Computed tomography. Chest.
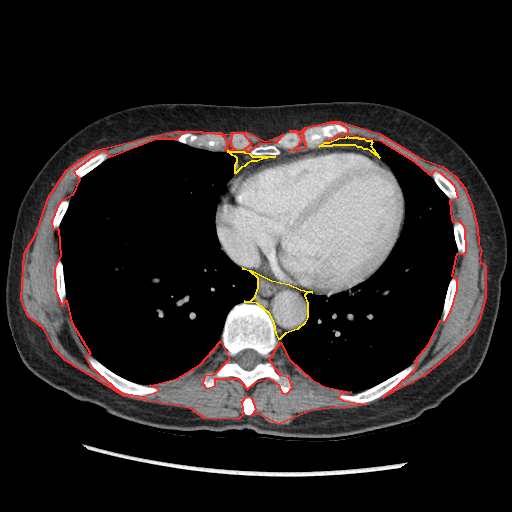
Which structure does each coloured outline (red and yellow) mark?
red: muscle; yellow: mediastinum.
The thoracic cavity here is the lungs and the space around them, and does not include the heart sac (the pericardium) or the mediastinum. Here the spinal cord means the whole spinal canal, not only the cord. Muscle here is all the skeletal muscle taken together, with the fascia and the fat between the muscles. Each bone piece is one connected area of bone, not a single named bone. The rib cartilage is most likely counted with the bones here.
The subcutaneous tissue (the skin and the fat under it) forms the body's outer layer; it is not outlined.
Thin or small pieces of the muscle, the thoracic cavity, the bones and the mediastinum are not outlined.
The muscle appears in 2 outlined pieces: piece 1: 178 130; 226 134; 246 131; 265 141; 283 134; 275 143; 258 144; 247 152; 243 150; 251 143; 243 133; 231 133; 230 145; 236 150; 225 150; 228 143; 221 133; 186 131; 175 139; 156 139; 110 157; 106 151; 99 152; 73 171; 79 179; 72 195; 59 202; 51 221; 52 227; 58 229; 60 256; 54 267; 55 290; 61 305; 66 300; 71 322; 90 353; 85 357; 89 365; 120 392; 144 396; 159 390; 150 385; 177 378; 200 364; 220 341; 229 359; 213 375; 204 376; 202 383; 206 388; 215 385; 215 378; 237 378; 247 389; 256 381; 269 378; 278 384; 281 392; 287 393; 292 387; 289 378; 280 375; 269 359; 280 342; 289 359; 310 378; 324 386; 351 392; 340 393; 338 397; 342 400; 366 404; 311 410; 278 424; 258 414; 251 415; 256 409; 252 398; 246 396; 241 402; 243 414; 238 419; 204 418; 190 408; 124 396; 65 360; 54 349; 44 329; 27 315; 21 299; 24 253; 36 233; 48 197; 66 170; 94 150; piece 2: 330 121; 340 121; 379 133; 420 158; 442 166; 455 176; 464 187; 471 204; 477 227; 478 244; 481 250; 479 258; 480 262; 485 265; 485 297; 479 319; 472 332; 457 348; 423 376; 383 397; 416 368; 417 362; 414 361; 429 343; 440 320; 445 321; 450 312; 457 290; 457 279; 452 276; 457 253; 463 254; 466 251; 465 228; 460 221; 455 220; 453 222; 452 219; 450 200; 458 197; 455 186; 440 172; 434 170; 430 175; 415 162; 381 141; 347 135; 325 141; 340 133; 348 132; 348 129; 343 125; 330 123; 306 128; 302 132; 305 148; 294 151; 288 150; 295 149; 302 139; 296 131; 289 131; 301 131; 305 127. The mediastinum appears in 3 outlined pieces: piece 1: 242 268; 251 270; 271 280; 289 284; 300 289; 312 292; 307 292; 304 295; 307 303; 307 317; 304 323; 297 329; 285 333; 279 339; 276 333; 274 322; 269 313; 257 303; 244 301; 250 301; 255 296; 258 287; 258 278; 251 272; piece 2: 347 136; 348 137; 357 137; 358 138; 363 138; 366 140; 371 140; 372 142; 370 145; 379 157; 371 151; 367 149; 364 149; 361 147; 358 147; 355 145; 332 145; 331 146; 319 146; 325 142; 329 142; 338 138; 346 137; piece 3: 227 151; 243 151; 244 152; 249 153; 252 156; 260 156; 261 157; 262 156; 275 156; 267 157; 266 158; 264 158; 257 161; 251 161; 247 163; 244 166; 241 167; 235 173; 235 164; 237 161; 237 158; 235 156; 232 155; 228 151. The pericardium is outlined by 332 146; 355 146; 371 152; 387 164; 402 190; 405 207; 403 225; 395 244; 381 265; 369 277; 351 289; 328 295; 271 279; 234 262; 222 248; 215 222; 216 210; 222 197; 228 191; 228 184; 233 176; 241 168; 251 162; 301 150. The spinal cord is outlined by 245 349; 253 349; 255 351; 256 351; 262 357; 263 357; 264 359; 263 362; 258 363; 252 369; 250 369; 249 370; 247 369; 244 369; 242 367; 241 367; 236 362; 232 360; 232 358; 233 358; 239 352. The bones appear in 13 outlined pieces: piece 1: 241 302; 257 304; 270 316; 279 341; 268 359; 280 376; 288 378; 291 387; 287 392; 281 391; 279 384; 269 377; 256 380; 248 388; 234 376; 215 377; 213 386; 204 385; 205 376; 213 376; 221 364; 230 359; 220 339; 228 312, around a hole outlined by 245 349; 253 349; 255 351; 256 351; 262 357; 263 357; 264 359; 263 362; 258 363; 252 369; 250 369; 249 370; 247 369; 244 369; 242 367; 241 367; 236 362; 235 362; 231 359; 233 358; 239 352; piece 2: 88 355; 91 355; 93 356; 107 368; 119 376; 135 383; 138 383; 143 385; 149 385; 150 386; 156 387; 158 388; 158 390; 153 393; 148 393; 144 395; 132 395; 128 393; 122 392; 115 387; 112 386; 90 365; 86 357; piece 3: 413 362; 416 362; 416 366; 415 368; 404 379; 391 389; 387 391; 383 395; 372 401; 366 403; 355 403; 349 400; 342 399; 339 397; 340 394; 343 394; 344 395; 351 395; 363 391; 366 389; 368 389; 391 377; piece 4: 186 132; 189 132; 192 134; 209 134; 210 133; 217 133; 218 134; 221 134; 224 136; 226 140; 227 147; 226 149; 224 150; 210 150; 209 149; 200 149; 192 145; 182 143; 179 141; 177 141; 176 139; 180 134; 182 134; piece 5: 330 124; 339 124; 346 128; 347 129; 347 132; 345 133; 344 132; 340 132; 335 135; 332 138; 326 138; 324 140; 324 142; 317 147; 307 148; 306 147; 305 142; 303 140; 303 132; 306 129; 313 126; 323 126; 324 125; 329 125; piece 6: 288 132; 296 132; 299 135; 301 139; 300 140; 300 143; 295 148; 293 149; 284 149; 283 148; 281 148; 280 149; 280 153; 278 155; 262 155; 261 156; 260 155; 252 155; 249 152; 251 148; 258 145; 275 144; 278 138; piece 7: 102 152; 106 152; 108 153; 108 157; 105 160; 104 160; 100 164; 99 164; 96 167; 92 169; 89 172; 88 172; 80 178; 74 175; 74 171; 83 162; 84 162; 89 158; 91 157; 93 157; 97 155; 99 153; 101 153; piece 8: 434 171; 436 171; 437 172; 440 173; 442 175; 443 175; 454 186; 454 187; 457 192; 457 197; 456 198; 449 199; 449 198; 440 189; 440 188; 436 184; 436 183; 434 181; 433 178; 431 176; 431 174; 432 173; 432 172; 433 172; piece 9: 59 259; 61 260; 62 264; 63 265; 63 276; 64 277; 64 283; 65 284; 65 301; 63 304; 61 304; 60 303; 59 299; 58 298; 58 296; 57 295; 57 291; 56 290; 56 276; 55 275; 55 267; 56 266; 56 263; piece 10: 452 277; 454 277; 456 279; 456 290; 455 291; 455 294; 454 295; 453 301; 450 307; 449 312; 445 320; 441 320; 441 316; 442 315; 442 311; 443 310; 443 305; 445 300; 445 296; 446 295; 447 288; 448 287; 449 282; piece 11: 455 221; 458 221; 459 222; 460 222; 462 224; 462 225; 463 226; 463 227; 464 228; 464 233; 465 234; 465 251; 463 253; 459 253; 457 251; 457 246; 456 245; 456 242; 455 241; 455 238; 454 237; 454 234; 453 233; 453 223; piece 12: 233 133; 240 133; 241 134; 243 134; 244 135; 247 136; 249 139; 249 142; 250 143; 250 145; 249 146; 249 147; 248 147; 246 149; 243 149; 242 150; 237 150; 236 149; 233 148; 231 145; 231 141; 230 140; 230 135; piece 13: 65 199; 67 199; 68 200; 69 200; 69 204; 68 205; 68 206; 67 207; 67 209; 60 222; 59 227; 58 228; 54 228; 52 225; 52 221; 53 220; 53 217; 54 216; 55 211; 56 210; 58 205; 60 203; 60 202. The torso is outlined by 333 101; 390 105; 438 127; 468 153; 497 200; 507 261; 490 343; 470 379; 405 425; 335 440; 278 439; 246 428; 162 431; 136 425; 102 413; 95 404; 76 401; 26 367; 5 303; 11 238; 26 191; 68 138; 103 116; 139 105. The thoracic cavity appears in 2 outlined pieces: piece 1: 164 139; 200 150; 226 151; 236 158; 234 173; 218 199; 215 230; 220 249; 257 278; 257 287; 250 300; 234 304; 227 312; 220 338; 204 360; 172 379; 143 384; 114 372; 80 339; 68 309; 58 239; 61 222; 81 178; 118 153; piece 2: 373 141; 389 146; 419 166; 448 198; 457 252; 440 319; 428 343; 411 363; 384 380; 353 393; 310 377; 290 359; 279 340; 307 320; 307 293; 327 297; 343 291; 349 293; 382 265; 400 236; 406 211; 403 190; 391 168; 372 147.